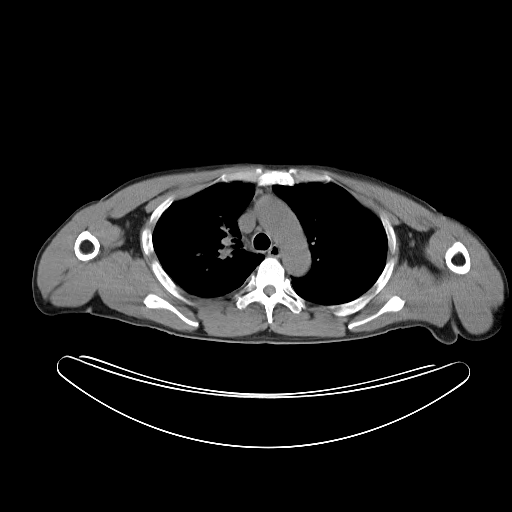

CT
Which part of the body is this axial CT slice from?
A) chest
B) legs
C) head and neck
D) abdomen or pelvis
Answer: A) chest
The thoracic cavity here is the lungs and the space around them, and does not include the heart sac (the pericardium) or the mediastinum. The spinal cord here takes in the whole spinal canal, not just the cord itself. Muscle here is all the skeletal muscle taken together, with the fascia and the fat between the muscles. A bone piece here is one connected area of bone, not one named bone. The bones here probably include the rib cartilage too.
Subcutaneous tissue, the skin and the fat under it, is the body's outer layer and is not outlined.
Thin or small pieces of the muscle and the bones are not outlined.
Outlines:
muscle: (243, 165) (266, 169) (223, 172) (185, 198) (175, 200) (171, 194) (151, 212) (153, 229) (147, 226) (140, 232) (143, 253) (156, 256) (149, 265) (153, 274) (177, 299) (192, 306) (183, 290) (204, 298) (235, 292) (239, 310) (257, 302) (269, 324) (277, 304) (299, 314) (309, 302) (342, 317) (361, 310) (388, 282) (396, 261) (387, 255) (396, 250) (396, 232) (400, 261) (430, 265) (422, 249) (428, 233) (404, 223) (394, 228) (383, 212) (376, 215) (328, 174) (297, 168) (308, 167) (389, 188) (461, 225) (486, 250) (501, 276) (503, 300) (495, 322) (479, 334) (456, 319) (441, 327) (404, 320) (332, 337) (286, 335) (267, 328) (226, 337) (178, 330) (96, 302) (51, 304) (37, 284) (40, 259) (79, 211) (149, 178); inner edges: (138, 208) (141, 208) (143, 211) (147, 214) (147, 216) (144, 219) (143, 223) (139, 230) (139, 243) (138, 245) (140, 251) (139, 253) (138, 252) (134, 253) (134, 250) (132, 248) (130, 249) (124, 249) (122, 248) (126, 241) (126, 230) (121, 224) (120, 220) (129, 213), then (455, 241) (460, 241) (465, 246) (469, 254) (469, 259) (470, 260) (470, 267) (469, 268) (469, 270) (466, 273) (464, 274) (458, 274) (452, 271) (447, 266) (446, 264) (446, 262) (445, 261) (445, 252) (446, 250), then (84, 230) (88, 230) (97, 238) (99, 242) (99, 250) (98, 251) (98, 253) (93, 258) (89, 260) (87, 260) (86, 261) (83, 261) (82, 260) (80, 260) (78, 259) (78, 258) (76, 256) (74, 252) (74, 243) (75, 242) (75, 240) (77, 236) (82, 231), then (149, 293) (156, 294) (158, 296) (163, 298) (169, 302) (174, 307) (175, 307) (175, 308) (184, 316) (193, 321) (197, 321) (199, 324) (198, 325) (190, 325) (182, 320) (175, 313) (166, 308) (149, 308) (147, 307) (144, 304) (143, 302) (143, 299) (146, 296) (146, 295), then (393, 295) (397, 295) (402, 298) (405, 301) (401, 309) (400, 309) (398, 311) (388, 311) (387, 312) (384, 312) (380, 314) (377, 317) (365, 323) (354, 326) (350, 329) (348, 328) (347, 326) (350, 322) (358, 321) (370, 315) (374, 314) (377, 311) (378, 311) (379, 309)
spinal cord: (269, 285) (270, 285) (271, 286) (273, 286) (274, 287) (274, 292) (273, 293) (272, 293) (271, 294) (270, 294) (269, 295) (268, 295) (267, 294) (266, 294) (265, 293) (265, 292) (264, 291) (264, 289) (265, 288) (265, 287) (266, 286) (268, 286)
thoracic cavity 1: (308, 182) (332, 182) (341, 186) (377, 216) (384, 229) (387, 242) (387, 254) (384, 266) (371, 287) (352, 300) (328, 305) (310, 302) (299, 295) (291, 284) (292, 277) (302, 278) (310, 271) (312, 256) (299, 219) (290, 206) (274, 192) (272, 186) (293, 186) (299, 183)
thoracic cavity 2: (234, 181) (250, 182) (254, 186) (253, 195) (238, 216) (236, 223) (240, 232) (242, 248) (250, 253) (261, 254) (263, 258) (248, 276) (245, 284) (237, 291) (214, 297) (189, 293) (170, 277) (157, 258) (153, 245) (154, 227) (162, 214) (175, 201) (185, 199) (216, 183)
bones 1: (266, 257) (273, 257) (278, 260) (283, 267) (285, 276) (290, 279) (294, 291) (307, 302) (306, 308) (299, 313) (294, 313) (287, 306) (277, 303) (272, 310) (271, 323) (267, 321) (265, 307) (261, 303) (254, 301) (239, 309) (234, 298) (234, 294) (246, 284) (249, 276); inner edge: (269, 285) (270, 285) (271, 286) (273, 286) (274, 287) (274, 292) (273, 293) (272, 293) (271, 294) (270, 294) (269, 295) (268, 295) (267, 294) (266, 294) (265, 293) (265, 292) (264, 291) (264, 289) (265, 288) (265, 287) (266, 286) (268, 286)
bones 2: (256, 167) (260, 167) (264, 171) (267, 169) (287, 170) (294, 167) (299, 170) (326, 174) (331, 177) (334, 182) (308, 181) (299, 182) (293, 185) (259, 185) (256, 182) (234, 180) (229, 182) (219, 181) (204, 187) (223, 173) (231, 173) (239, 170) (253, 169)
bones 3: (390, 258) (393, 258) (395, 261) (394, 267) (390, 277) (385, 285) (361, 309) (354, 313) (348, 315) (338, 316) (333, 314) (329, 309) (322, 307) (328, 306) (329, 305) (337, 305) (338, 304) (346, 303) (352, 301) (364, 294) (372, 287) (382, 272) (385, 266) (386, 261)
bones 4: (455, 241) (460, 241) (465, 246) (469, 254) (469, 259) (470, 260) (470, 267) (469, 268) (469, 270) (466, 273) (464, 274) (458, 274) (452, 271) (447, 266) (446, 264) (446, 262) (445, 261) (445, 252) (446, 250)
bones 5: (84, 230) (88, 230) (97, 238) (99, 242) (99, 250) (98, 251) (98, 253) (93, 258) (89, 260) (87, 260) (86, 261) (83, 261) (82, 260) (80, 260) (78, 259) (78, 258) (76, 256) (74, 252) (74, 243) (75, 242) (75, 240) (77, 236) (82, 231)
bones 6: (156, 258) (158, 260) (160, 265) (162, 267) (164, 271) (169, 276) (169, 277) (180, 288) (182, 289) (181, 293) (193, 303) (192, 305) (187, 304) (185, 302) (182, 301) (180, 299) (174, 296) (161, 284) (161, 283) (154, 274) (150, 265) (151, 264) (152, 260)
bones 7: (149, 293) (156, 294) (158, 296) (163, 298) (169, 302) (174, 307) (175, 307) (175, 308) (184, 316) (193, 321) (197, 321) (199, 324) (198, 325) (190, 325) (182, 320) (175, 313) (166, 308) (149, 308) (147, 307) (144, 304) (143, 302) (143, 299) (146, 296) (146, 295)
bones 8: (393, 295) (397, 295) (402, 298) (405, 301) (401, 309) (400, 309) (398, 311) (388, 311) (387, 312) (384, 312) (380, 314) (377, 317) (365, 323) (354, 326) (350, 329) (348, 328) (347, 326) (350, 322) (358, 321) (370, 315) (374, 314) (377, 311) (378, 311) (379, 309)
bones 9: (380, 213) (383, 213) (388, 218) (395, 232) (395, 235) (396, 236) (396, 247) (393, 253) (388, 251) (388, 242) (387, 241) (387, 236) (385, 232) (385, 229) (379, 218) (379, 214)
bones 10: (171, 195) (173, 195) (175, 198) (174, 199) (173, 202) (161, 214) (161, 215) (157, 220) (156, 223) (154, 225) (154, 226) (153, 226) (151, 224) (150, 224) (150, 223) (149, 222) (149, 218) (150, 217) (152, 212) (160, 203) (161, 203) (166, 198) (167, 198)
bones 11: (147, 227) (148, 228) (150, 228) (152, 230) (152, 245) (153, 246) (153, 249) (154, 250) (154, 253) (151, 253) (149, 255) (146, 255) (144, 253) (144, 252) (143, 251) (143, 249) (142, 248) (142, 244) (141, 243) (141, 232) (142, 231) (142, 230) (144, 228) (146, 228)
mediastinum: (253, 183) (256, 183) (259, 186) (271, 186) (273, 192) (289, 206) (298, 219) (311, 256) (310, 269) (304, 276) (292, 276) (290, 278) (286, 276) (284, 267) (277, 258) (273, 256) (264, 257) (261, 253) (250, 252) (243, 248) (241, 232) (237, 220) (254, 195) (255, 186)
right arm: (99, 198) (100, 198) (114, 240) (110, 249) (101, 278) (87, 309) (87, 311) (86, 313) (82, 313) (81, 314) (60, 314) (57, 316) (46, 315) (42, 313) (36, 307) (32, 296) (31, 280) (32, 279) (32, 270) (36, 254) (47, 237) (76, 208) (90, 200) (98, 199)
torso: (241, 161) (318, 163) (355, 170) (401, 187) (441, 211) (437, 225) (441, 270) (447, 320) (457, 337) (456, 341) (449, 345) (443, 344) (426, 329) (412, 327) (366, 339) (335, 343) (227, 343) (178, 337) (156, 329) (87, 313) (115, 240) (101, 197) (125, 181) (153, 171)
left arm: (443, 212) (461, 220) (471, 227) (482, 238) (494, 253) (503, 267) (506, 274) (509, 288) (509, 298) (505, 312) (505, 317) (499, 331) (487, 339) (480, 341) (471, 341) (467, 340) (461, 336) (457, 336) (449, 323) (443, 271) (442, 270) (439, 233) (438, 232) (438, 225)